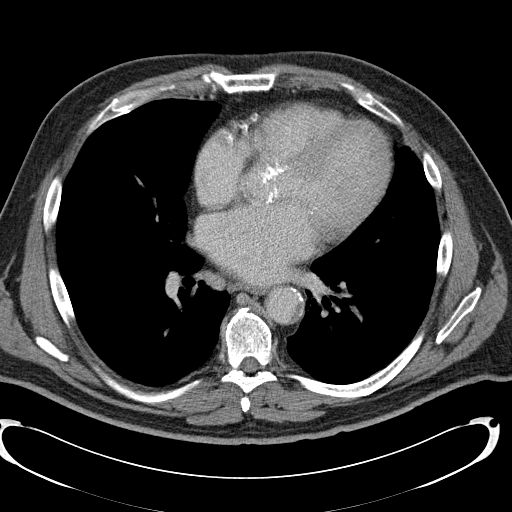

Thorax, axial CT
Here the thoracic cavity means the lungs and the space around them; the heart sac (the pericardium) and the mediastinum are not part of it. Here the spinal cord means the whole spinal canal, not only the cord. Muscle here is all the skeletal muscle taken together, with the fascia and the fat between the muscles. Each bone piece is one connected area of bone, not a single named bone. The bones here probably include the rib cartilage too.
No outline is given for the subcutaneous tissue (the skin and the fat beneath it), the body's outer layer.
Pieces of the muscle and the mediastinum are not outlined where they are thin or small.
{"muscle":[{"outer":[[206,63],[233,73],[203,72],[199,81],[209,93],[153,99],[175,90],[178,85],[170,82],[114,97],[88,124],[87,137],[63,181],[55,175],[45,194],[43,230],[55,225],[57,259],[57,265],[47,269],[48,283],[65,325],[75,322],[95,355],[129,382],[163,388],[193,379],[146,391],[92,363],[104,383],[130,400],[160,403],[200,384],[198,372],[215,360],[215,368],[222,371],[219,380],[242,390],[239,403],[246,413],[249,393],[278,379],[269,368],[278,354],[305,374],[288,372],[286,377],[322,395],[364,397],[394,378],[424,340],[426,330],[417,331],[437,278],[448,274],[453,235],[448,228],[440,230],[438,165],[426,150],[421,161],[399,129],[404,127],[402,119],[388,106],[453,172],[481,246],[477,277],[485,280],[490,275],[493,245],[501,255],[507,305],[494,331],[476,350],[401,389],[326,408],[310,420],[275,422],[245,415],[233,423],[196,425],[183,416],[103,401],[48,368],[0,348],[0,277],[14,256],[4,284],[18,306],[15,279],[21,271],[34,194],[62,149],[116,92]],"holes":[[[477,286],[479,286],[481,288],[481,293],[473,309],[467,313],[458,322],[458,323],[453,328],[449,334],[440,343],[436,344],[435,343],[435,338],[438,331],[449,319],[450,316],[453,313],[454,310],[457,307],[462,298],[463,298],[464,296],[473,290]],[[38,335],[39,336],[42,336],[46,338],[48,340],[49,340],[61,351],[67,354],[69,356],[69,359],[66,362],[61,361],[57,358],[54,357],[52,355],[49,354],[43,349],[42,349],[35,342],[35,340],[34,339],[34,338]]]},[[274,63],[289,63],[309,68],[329,70],[347,75],[381,95],[385,99],[387,105],[375,97],[369,90],[365,90],[344,80],[340,80],[338,85],[348,93],[327,87],[315,89],[292,87],[274,88],[278,75],[277,69],[268,72],[253,72],[263,66]]],"bones":[{"outer":[[241,307],[249,307],[267,324],[273,341],[262,340],[277,351],[278,355],[278,359],[268,366],[277,379],[266,381],[248,393],[250,404],[246,412],[240,403],[243,390],[234,382],[222,382],[220,376],[223,371],[216,368],[216,356],[225,346],[222,323]],"hole":[[246,357],[253,357],[257,361],[257,362],[258,363],[258,364],[259,365],[259,368],[256,371],[255,371],[253,373],[251,373],[250,374],[248,374],[247,373],[246,373],[243,370],[242,370],[240,368],[240,365],[241,364],[241,363],[242,362],[242,361]]},[[423,329],[425,330],[423,340],[410,360],[387,383],[368,395],[358,397],[342,397],[322,394],[311,391],[305,388],[297,380],[286,376],[286,374],[288,373],[295,373],[332,384],[350,384],[361,381],[381,370],[389,364],[409,344],[415,335]],[[211,70],[214,70],[227,75],[239,73],[268,73],[277,70],[277,75],[273,88],[266,91],[262,90],[261,91],[244,91],[243,92],[227,93],[219,90],[217,92],[210,93],[210,88],[204,85],[200,81],[200,78],[203,73],[207,73]],[[170,83],[175,83],[177,85],[175,89],[168,91],[164,91],[159,93],[151,100],[134,108],[127,113],[125,113],[106,121],[95,129],[89,135],[87,134],[86,131],[89,124],[114,98],[132,90],[150,88],[151,87],[158,86],[161,84],[169,84]],[[92,364],[97,365],[104,372],[107,373],[120,383],[124,384],[134,390],[142,390],[146,392],[152,391],[157,392],[175,388],[197,378],[201,379],[201,382],[190,390],[186,391],[176,397],[160,402],[146,403],[130,399],[110,387],[105,383],[93,369]],[[340,81],[348,82],[354,85],[356,87],[358,87],[365,91],[369,91],[375,98],[387,106],[401,119],[403,123],[403,127],[401,128],[397,127],[395,125],[382,119],[379,116],[376,115],[371,111],[360,105],[344,88],[341,87],[339,85],[339,82]],[[51,266],[57,266],[58,267],[60,275],[66,288],[73,309],[73,312],[75,316],[75,321],[72,320],[70,322],[70,326],[69,327],[68,327],[64,322],[55,304],[51,292],[50,284],[49,283],[49,277],[48,276],[48,269],[49,267]],[[477,286],[479,286],[481,288],[481,293],[473,309],[467,313],[458,322],[458,323],[453,328],[449,334],[440,343],[436,344],[435,343],[435,338],[438,331],[449,319],[450,316],[453,313],[454,310],[457,307],[462,298],[463,298],[464,296],[473,290]],[[57,175],[60,176],[62,180],[61,197],[59,202],[59,207],[58,208],[58,212],[57,213],[57,218],[56,219],[55,224],[46,232],[44,230],[44,224],[43,223],[43,209],[44,208],[46,194],[47,193],[48,188],[50,185],[50,183],[52,179]],[[446,229],[448,229],[451,232],[452,235],[452,253],[451,254],[451,261],[449,265],[449,268],[447,274],[445,276],[442,276],[441,275],[437,277],[437,274],[436,273],[436,266],[437,265],[437,257],[438,256],[439,242],[440,241],[441,234],[443,231]],[[424,151],[426,151],[430,154],[433,160],[437,165],[437,167],[439,170],[440,176],[441,177],[441,188],[440,189],[440,191],[434,190],[434,189],[430,185],[430,184],[428,182],[426,178],[425,172],[424,171],[423,165],[422,164],[422,154]],[[38,335],[39,336],[42,336],[46,338],[48,340],[49,340],[61,351],[67,354],[69,356],[69,359],[66,362],[61,361],[57,358],[54,357],[52,355],[49,354],[43,349],[42,349],[35,342],[35,340],[34,339],[34,338]]],"pericardium":[[[293,96],[335,100],[377,119],[387,128],[393,139],[393,171],[385,193],[373,211],[343,241],[314,260],[299,278],[280,281],[267,286],[248,288],[220,274],[194,240],[192,235],[191,210],[191,184],[194,164],[204,140],[229,114],[254,104]]],"torso":[[[281,50],[339,52],[376,64],[427,94],[463,134],[511,216],[511,380],[482,380],[465,385],[399,416],[354,431],[270,445],[196,443],[131,431],[78,413],[23,387],[1,382],[0,210],[28,147],[50,108],[78,83],[124,61],[178,53]]],"spinal_cord":[[[246,357],[253,357],[257,361],[257,362],[258,363],[258,364],[259,365],[259,368],[256,371],[255,371],[253,373],[251,373],[250,374],[248,374],[247,373],[246,373],[243,370],[242,370],[240,368],[240,365],[241,364],[241,363],[242,362],[242,361]]],"thoracic_cavity":[[[196,96],[198,100],[217,102],[220,110],[199,142],[183,195],[185,240],[203,259],[200,271],[205,283],[229,295],[220,327],[224,346],[195,378],[150,387],[118,375],[86,341],[59,269],[56,223],[63,182],[88,136],[106,122],[152,100]],[[404,142],[420,160],[425,178],[434,191],[439,221],[436,279],[427,311],[408,344],[371,375],[350,383],[332,383],[313,378],[278,353],[286,345],[287,338],[297,331],[306,313],[310,267],[314,261],[343,242],[382,201],[394,172],[395,146],[399,147]]],"mediastinum":[[[191,176],[191,235],[220,275],[251,289],[297,280],[309,269],[305,313],[296,331],[286,338],[281,348],[276,350],[263,340],[273,342],[272,331],[249,306],[238,307],[225,317],[230,295],[206,283],[201,271],[204,259],[186,240],[188,215],[184,195]],[[276,88],[327,88],[344,92],[360,106],[395,126],[405,141],[394,149],[394,139],[388,128],[377,118],[351,105],[335,99],[293,95],[254,103],[229,113],[209,132],[198,151],[202,138],[221,110],[217,101],[198,99],[200,96],[218,92],[266,92]]]}